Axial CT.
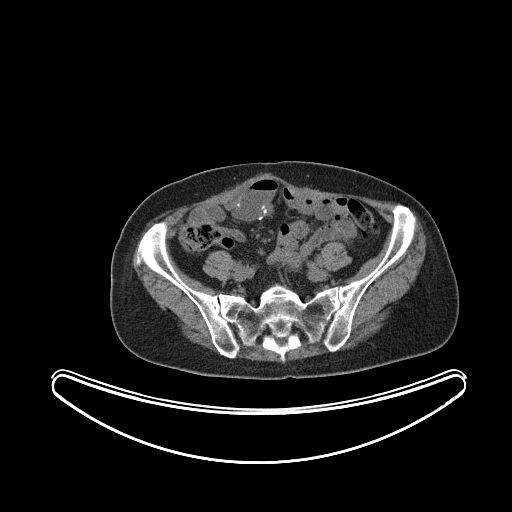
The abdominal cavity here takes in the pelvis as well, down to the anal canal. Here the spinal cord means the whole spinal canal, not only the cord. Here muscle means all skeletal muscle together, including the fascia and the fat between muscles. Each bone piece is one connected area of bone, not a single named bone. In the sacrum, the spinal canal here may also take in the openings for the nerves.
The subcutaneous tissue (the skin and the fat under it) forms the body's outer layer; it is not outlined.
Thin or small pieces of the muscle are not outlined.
{"torso":[[[283,160],[320,162],[362,171],[403,189],[422,203],[440,230],[458,285],[459,315],[449,340],[427,354],[366,370],[278,380],[198,375],[148,362],[130,352],[114,330],[109,292],[113,249],[123,225],[134,209],[150,193],[163,185],[203,170],[240,163]]],"abdominal_cavity":[{"outer":[[259,178],[271,178],[308,196],[355,198],[374,208],[391,227],[378,253],[342,279],[340,285],[319,290],[303,300],[297,292],[276,282],[260,293],[254,305],[243,295],[218,291],[186,273],[172,256],[169,241],[174,235],[174,225],[186,212],[226,204]],"hole":[[218,250],[221,250],[222,251],[224,251],[228,253],[231,256],[231,258],[233,260],[233,265],[231,269],[229,271],[229,276],[224,281],[216,277],[211,277],[209,275],[208,275],[203,270],[203,265],[208,255],[211,252],[213,252],[214,251],[217,251]]}],"spinal_cord":[[[295,323],[297,323],[298,324],[299,324],[299,325],[300,326],[300,327],[299,328],[299,330],[298,331],[298,332],[297,332],[296,333],[295,333],[294,332],[293,332],[293,331],[292,330],[292,326],[293,325],[293,324],[294,324]],[[266,325],[267,325],[268,326],[269,326],[270,327],[271,327],[271,328],[272,329],[272,330],[271,331],[271,332],[270,333],[269,333],[268,334],[266,334],[265,333],[264,333],[264,332],[263,331],[263,328],[264,327],[264,326],[265,326]],[[284,337],[286,337],[286,341],[285,342],[285,343],[284,343],[283,344],[280,344],[279,343],[278,343],[277,342],[277,341],[276,340],[276,338],[283,338]]],"muscle":[[[266,172],[278,176],[299,187],[307,186],[321,191],[349,193],[377,200],[397,202],[391,208],[392,224],[374,207],[355,197],[344,195],[308,195],[299,193],[271,177],[259,177],[248,183],[241,189],[239,194],[226,203],[201,205],[189,209],[172,227],[173,235],[168,241],[171,256],[179,268],[190,277],[220,292],[210,294],[191,287],[181,278],[172,264],[167,248],[167,222],[160,220],[153,223],[138,241],[135,250],[135,263],[138,266],[144,264],[150,270],[169,281],[187,296],[198,309],[209,332],[210,340],[218,353],[216,353],[186,338],[181,332],[178,321],[171,318],[150,296],[132,266],[133,251],[140,233],[147,222],[162,212],[204,200],[259,173]],[[411,209],[416,212],[422,224],[426,237],[426,252],[415,281],[406,293],[395,302],[389,304],[391,307],[389,316],[384,321],[383,326],[377,332],[352,348],[339,350],[350,337],[356,309],[368,287],[398,260],[406,252],[412,243],[415,236],[417,219]],[[218,250],[221,250],[222,251],[224,251],[228,253],[231,256],[231,258],[233,260],[233,265],[231,269],[229,271],[229,276],[224,281],[216,277],[211,277],[209,275],[208,275],[203,270],[203,265],[208,255],[211,252],[213,252],[214,251],[217,251]],[[332,242],[338,242],[342,244],[344,247],[344,249],[346,251],[346,253],[351,258],[350,262],[347,265],[343,267],[341,267],[336,270],[330,270],[328,269],[328,268],[324,265],[319,256],[322,248],[323,248],[324,246],[328,243],[331,243]],[[302,336],[304,336],[310,344],[313,344],[316,342],[318,342],[322,339],[323,345],[329,352],[323,353],[319,355],[311,356],[310,357],[306,357],[302,359],[296,359],[295,360],[286,361],[286,354],[289,351],[297,349],[302,345],[302,340],[301,339]],[[259,339],[260,340],[260,345],[261,347],[266,351],[271,351],[277,354],[279,356],[279,359],[281,362],[277,362],[276,361],[259,361],[258,360],[251,360],[246,358],[236,357],[240,351],[240,343],[239,342],[246,347],[254,347],[257,344],[257,341]],[[390,230],[389,241],[388,242],[387,247],[385,250],[385,252],[382,258],[375,266],[375,267],[363,277],[353,280],[346,284],[341,284],[340,282],[342,280],[347,279],[354,275],[358,271],[360,267],[366,261],[369,260],[371,258],[373,258],[379,253]]],"bones":[{"outer":[[397,203],[415,216],[413,239],[367,287],[349,337],[333,352],[322,338],[302,335],[284,362],[259,338],[254,346],[239,341],[235,358],[221,355],[188,296],[136,263],[140,239],[164,221],[171,264],[191,288],[256,306],[278,283],[307,301],[376,267]],"holes":[[[295,323],[297,323],[298,324],[299,324],[299,325],[300,326],[300,327],[299,328],[299,330],[298,331],[298,332],[297,332],[296,333],[295,333],[294,332],[293,332],[293,331],[292,330],[292,326],[293,325],[293,324],[294,324]],[[266,325],[267,325],[268,326],[269,326],[270,327],[271,327],[271,328],[272,329],[272,330],[271,331],[271,332],[270,333],[269,333],[268,334],[266,334],[265,333],[264,333],[264,332],[263,331],[263,328],[264,327],[264,326],[265,326]],[[284,337],[286,337],[286,341],[285,342],[285,343],[284,343],[283,344],[280,344],[279,343],[278,343],[277,342],[277,341],[276,340],[276,338],[283,338]]]}]}